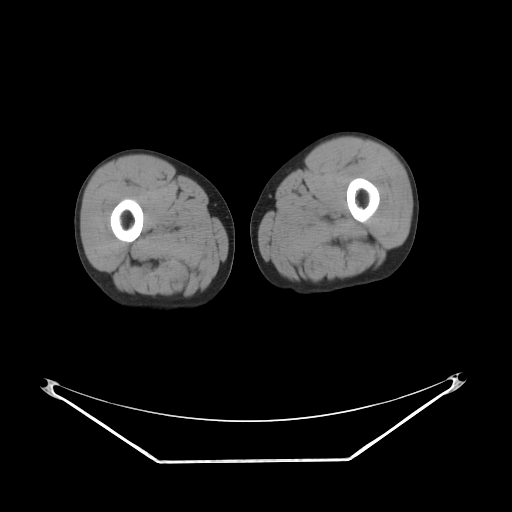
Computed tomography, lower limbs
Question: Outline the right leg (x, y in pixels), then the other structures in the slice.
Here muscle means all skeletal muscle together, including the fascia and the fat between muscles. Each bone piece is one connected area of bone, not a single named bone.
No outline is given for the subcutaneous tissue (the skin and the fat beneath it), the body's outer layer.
Answer: The right leg is outlined by [[129,148],[156,150],[188,164],[203,174],[218,189],[228,205],[235,226],[235,252],[232,268],[220,292],[201,307],[192,310],[151,310],[120,305],[110,299],[94,283],[81,264],[75,244],[73,223],[74,207],[79,188],[90,170],[98,162],[115,152]]. The bones appear in 2 outlined pieces: piece 1: [[125,198],[131,198],[132,199],[134,199],[140,205],[143,212],[143,226],[142,227],[141,232],[140,234],[133,241],[131,242],[126,242],[125,241],[123,241],[122,240],[118,239],[113,233],[111,229],[111,226],[110,225],[110,214],[113,208],[121,200]]; piece 2: [[357,177],[362,177],[373,183],[376,186],[379,192],[379,197],[380,198],[379,199],[379,204],[374,213],[365,222],[360,222],[355,219],[352,216],[351,213],[348,209],[347,202],[346,201],[346,190],[347,189],[347,186],[349,182],[352,179]]. The left leg is outlined by [[341,130],[362,131],[386,141],[404,157],[411,168],[419,200],[417,229],[411,250],[401,266],[392,275],[380,281],[344,288],[331,293],[310,296],[277,288],[269,283],[262,275],[253,255],[249,234],[250,216],[253,207],[268,179],[282,164],[317,138]]. The muscle appears in 2 outlined pieces: piece 1: [[346,135],[371,139],[384,145],[394,153],[403,165],[410,182],[413,197],[413,212],[408,236],[403,244],[391,257],[372,273],[344,281],[330,283],[309,284],[289,282],[270,268],[263,259],[259,250],[257,234],[264,201],[272,187],[315,146],[334,137]] with a hole at [[357,177],[362,177],[373,183],[376,186],[379,192],[379,197],[380,198],[379,199],[379,204],[374,213],[365,222],[360,222],[355,219],[352,216],[351,213],[348,209],[347,202],[346,201],[346,190],[347,189],[347,186],[349,182],[352,179]]; piece 2: [[135,153],[150,154],[162,158],[194,179],[216,204],[225,226],[228,237],[229,250],[226,260],[212,284],[193,299],[163,299],[132,296],[118,293],[110,280],[104,274],[95,269],[85,255],[80,236],[80,209],[84,190],[92,175],[100,166],[120,156]], around a hole outlined by [[125,198],[131,198],[132,199],[134,199],[140,205],[143,212],[143,226],[142,227],[141,232],[140,234],[133,241],[131,242],[126,242],[125,241],[123,241],[122,240],[118,239],[113,233],[111,229],[111,226],[110,225],[110,214],[113,208],[121,200]].